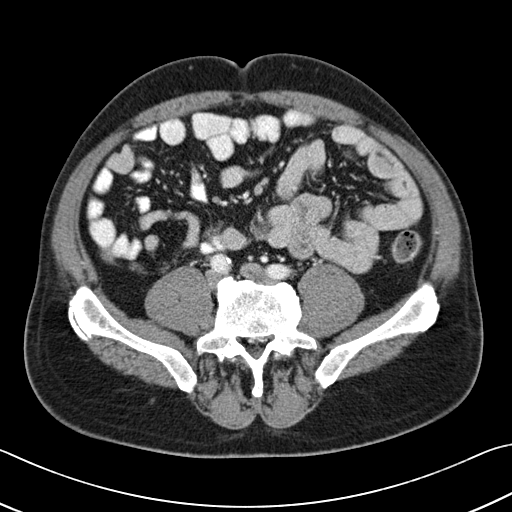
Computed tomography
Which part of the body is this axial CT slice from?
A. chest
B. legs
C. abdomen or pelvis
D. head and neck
C. abdomen or pelvis
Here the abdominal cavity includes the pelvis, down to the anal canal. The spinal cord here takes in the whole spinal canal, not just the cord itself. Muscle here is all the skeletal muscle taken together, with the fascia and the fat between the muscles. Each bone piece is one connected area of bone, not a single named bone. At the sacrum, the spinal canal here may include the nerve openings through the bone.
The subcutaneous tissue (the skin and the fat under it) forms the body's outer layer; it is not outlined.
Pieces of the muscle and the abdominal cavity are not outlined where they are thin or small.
{"muscle":[{"outer":[[206,90],[294,90],[354,109],[426,156],[445,183],[461,224],[461,270],[440,303],[429,280],[418,285],[431,247],[432,208],[408,164],[381,138],[360,127],[284,104],[234,101],[174,114],[131,131],[103,155],[85,187],[78,213],[79,236],[97,285],[128,317],[147,320],[144,301],[155,282],[184,266],[199,270],[212,290],[214,318],[213,326],[195,340],[195,353],[213,354],[220,364],[226,359],[233,363],[239,357],[250,370],[250,394],[254,398],[261,398],[264,393],[264,367],[270,357],[290,358],[296,348],[315,351],[319,347],[313,336],[298,328],[303,313],[298,282],[306,270],[329,264],[355,280],[365,303],[353,325],[390,308],[410,293],[380,324],[328,350],[313,377],[324,390],[333,385],[315,409],[286,428],[272,428],[258,415],[242,429],[225,428],[201,414],[177,391],[148,384],[104,363],[86,343],[101,337],[158,361],[182,392],[190,394],[194,390],[198,375],[177,348],[142,337],[121,324],[87,284],[80,284],[67,303],[52,259],[53,217],[64,184],[80,159],[139,112],[170,98]],"hole":[[179,334],[181,334],[182,335],[183,335],[184,336],[186,336],[187,337],[188,337],[189,338],[191,338],[192,339],[192,340],[191,341],[191,342],[190,342],[189,343],[187,343],[186,342],[185,342],[185,341],[183,339],[182,339],[179,336]]},[[416,333],[420,333],[418,334],[409,344],[403,348],[399,355],[396,356],[393,359],[381,365],[376,369],[367,372],[360,373],[357,375],[353,375],[350,377],[347,377],[337,381],[350,362],[361,352],[367,348],[402,335],[408,335],[409,334],[415,334]]],"torso":[[[274,52],[315,57],[365,82],[403,116],[449,176],[470,227],[483,320],[481,364],[471,391],[453,411],[427,426],[312,456],[174,456],[66,427],[46,411],[30,386],[23,335],[44,209],[70,150],[119,90],[154,67],[194,55],[217,55],[242,66]]],"spinal_cord":[[[264,336],[266,337],[269,337],[270,336],[272,336],[272,338],[268,340],[266,344],[263,347],[263,350],[262,352],[260,354],[260,355],[256,358],[252,356],[247,351],[246,349],[246,347],[237,339],[238,337],[242,339],[243,338],[261,338]]],"bones":[{"outer":[[229,276],[264,284],[289,283],[300,299],[302,313],[297,328],[318,345],[315,350],[296,347],[290,357],[270,356],[263,367],[261,397],[251,394],[252,373],[239,356],[233,362],[226,358],[220,363],[213,353],[196,353],[196,340],[214,326],[216,286]],"hole":[[264,336],[266,337],[269,337],[270,336],[272,336],[272,338],[268,340],[266,344],[263,347],[263,350],[262,352],[260,354],[260,355],[256,358],[252,356],[247,351],[246,349],[246,347],[237,339],[238,337],[242,339],[243,338],[261,338]]},[[83,284],[87,285],[110,314],[132,333],[153,342],[177,349],[197,375],[197,383],[193,390],[190,393],[180,390],[164,366],[146,353],[137,351],[117,340],[106,337],[94,336],[87,342],[80,339],[70,325],[67,316],[67,308],[69,299],[75,290]],[[424,281],[429,281],[432,284],[440,304],[437,318],[435,322],[428,329],[423,332],[402,334],[371,345],[361,351],[352,359],[336,381],[331,385],[324,389],[316,382],[314,372],[323,357],[332,347],[357,338],[380,325],[395,313],[404,303],[408,296]]],"abdominal_cavity":[[[255,101],[360,128],[407,164],[431,208],[417,286],[353,324],[365,295],[329,263],[304,271],[299,295],[287,281],[229,275],[215,286],[214,314],[206,276],[184,265],[147,290],[147,319],[128,316],[98,285],[80,236],[96,166],[128,134],[162,119]]]}